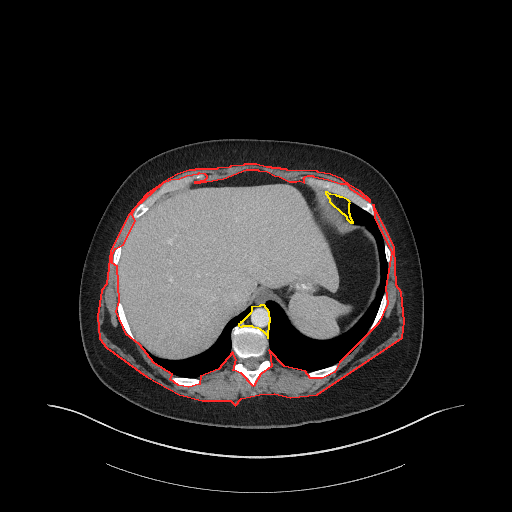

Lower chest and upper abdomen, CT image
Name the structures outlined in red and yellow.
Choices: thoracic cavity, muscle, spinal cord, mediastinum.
red: muscle; yellow: mediastinum.
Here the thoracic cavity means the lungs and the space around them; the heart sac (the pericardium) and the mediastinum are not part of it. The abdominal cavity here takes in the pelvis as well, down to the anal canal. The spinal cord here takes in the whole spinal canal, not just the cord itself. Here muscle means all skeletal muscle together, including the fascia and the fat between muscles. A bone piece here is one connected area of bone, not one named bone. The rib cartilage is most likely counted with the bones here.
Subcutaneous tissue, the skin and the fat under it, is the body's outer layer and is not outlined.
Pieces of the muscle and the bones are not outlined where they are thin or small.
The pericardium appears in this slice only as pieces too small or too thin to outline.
{"muscle":[[[235,405],[241,398],[259,394],[274,393],[290,397],[317,394],[402,337],[404,321],[401,292],[396,285],[394,247],[373,204],[374,217],[391,252],[385,288],[387,303],[378,323],[339,362],[334,372],[322,378],[310,378],[305,371],[284,366],[269,350],[271,366],[260,374],[253,386],[241,373],[233,370],[236,359],[232,352],[218,369],[200,376],[199,384],[188,387],[178,385],[170,379],[172,374],[154,363],[139,344],[126,334],[116,311],[119,301],[117,266],[112,263],[112,255],[115,248],[123,244],[135,221],[132,214],[136,206],[162,183],[146,194],[128,215],[110,250],[106,284],[101,290],[97,316],[99,338],[106,347],[146,376],[179,394],[202,400],[230,400]],[[369,201],[370,201],[370,200],[360,191],[349,185],[342,179],[330,174],[318,172],[317,171],[287,170],[286,169],[281,169],[280,168],[272,168],[271,167],[266,167],[256,164],[244,164],[243,165],[230,166],[229,167],[217,168],[216,169],[195,169],[194,170],[189,170],[177,174],[163,182],[170,179],[179,178],[186,175],[198,173],[199,172],[204,173],[206,175],[206,178],[204,180],[200,181],[199,182],[194,182],[200,182],[201,181],[206,181],[223,178],[246,169],[257,169],[258,170],[267,171],[274,175],[279,176],[289,181],[296,181],[299,180],[304,182],[304,179],[303,178],[305,176],[307,175],[312,175],[313,176],[328,179],[340,183],[345,183],[347,184],[350,188]]],"mediastinum":[[[267,337],[268,337],[269,322],[270,321],[269,312],[264,305],[260,305],[259,306],[251,307],[251,311],[250,313],[241,322],[240,322],[240,323],[238,324],[238,325],[240,326],[242,326],[243,325],[251,325],[252,326],[257,327],[262,330],[266,334]],[[350,222],[353,222],[350,217],[350,214],[349,213],[349,203],[350,202],[348,200],[342,197],[340,197],[339,196],[337,196],[336,195],[330,194],[327,192],[325,192],[325,193],[329,198],[329,201],[342,213],[343,213],[346,216],[346,218]]],"thoracic_cavity":[[[306,371],[338,362],[357,346],[367,332],[384,292],[387,263],[383,240],[374,218],[351,202],[354,223],[365,225],[376,238],[381,264],[376,297],[362,317],[347,332],[333,339],[313,340],[300,334],[275,302],[264,302],[271,316],[270,351],[284,365]],[[186,377],[198,377],[200,375],[209,373],[218,368],[227,359],[231,352],[231,329],[249,313],[250,308],[244,310],[237,316],[232,318],[228,322],[216,342],[201,354],[183,360],[166,360],[153,356],[146,350],[144,350],[154,362],[165,370],[174,375]]],"bones":[{"outer":[[251,385],[254,384],[254,382],[259,374],[263,370],[269,368],[270,366],[270,360],[267,357],[268,340],[265,334],[257,328],[251,326],[242,327],[235,326],[231,332],[232,351],[235,354],[237,359],[237,361],[234,365],[234,370],[241,372],[250,381]],"hole":[[249,369],[254,369],[257,367],[257,366],[258,365],[258,364],[260,362],[260,360],[259,359],[259,358],[255,358],[254,357],[250,357],[249,358],[247,358],[246,359],[244,359],[243,360],[243,363],[244,364],[244,365],[247,368],[248,368]]},[[373,216],[374,216],[374,210],[372,204],[350,189],[347,185],[332,182],[328,180],[325,180],[312,176],[307,176],[304,178],[305,179],[305,182],[308,185],[316,189],[321,189],[324,191],[327,191],[330,193],[333,193],[342,196],[353,202]],[[136,219],[141,216],[156,200],[161,197],[161,196],[165,193],[184,187],[194,181],[202,180],[205,178],[205,175],[199,173],[198,174],[186,176],[179,179],[170,180],[163,183],[159,188],[148,197],[144,202],[139,204],[137,206],[133,214],[133,217]],[[134,341],[136,341],[136,340],[133,334],[131,332],[129,325],[127,323],[127,320],[125,317],[121,303],[120,302],[118,302],[117,304],[117,311],[118,312],[118,315],[119,316],[120,321],[127,334],[130,337],[130,338]],[[310,377],[322,377],[323,376],[325,376],[326,375],[327,375],[329,373],[334,371],[338,367],[338,363],[336,363],[331,366],[326,367],[323,369],[320,369],[319,370],[315,370],[314,371],[311,371],[310,372],[308,372],[307,373],[307,375]],[[187,386],[188,386],[189,385],[194,385],[195,384],[197,384],[198,383],[199,383],[200,382],[200,380],[198,378],[186,378],[185,377],[179,377],[178,376],[172,376],[171,379],[174,382],[175,382],[178,384],[180,384],[181,385],[186,385]],[[368,332],[369,332],[373,329],[383,312],[383,310],[385,307],[385,304],[386,303],[386,294],[385,293],[383,294],[383,296],[382,297],[382,299],[381,300],[381,302],[380,303],[378,311],[375,316],[375,318],[371,326],[368,330]],[[115,265],[117,265],[117,264],[119,261],[119,257],[120,256],[120,254],[121,253],[121,248],[122,247],[121,246],[121,245],[120,245],[119,246],[118,246],[116,248],[116,249],[114,252],[114,254],[113,255],[113,263]]],"spinal_cord":[[[249,369],[254,369],[257,367],[257,366],[258,365],[258,364],[260,362],[260,360],[259,359],[259,358],[255,358],[254,357],[250,357],[249,358],[247,358],[246,359],[244,359],[243,360],[243,363],[244,364],[244,365],[247,368],[248,368]]],"abdominal_cavity":[[[166,359],[201,353],[215,342],[232,317],[265,300],[275,301],[291,324],[310,338],[330,339],[347,331],[373,301],[379,285],[375,238],[365,226],[350,223],[323,191],[263,171],[246,170],[166,194],[130,228],[118,264],[119,297],[132,332],[143,349]]],"torso":[[[247,429],[319,423],[375,408],[403,389],[419,359],[424,298],[413,232],[387,179],[369,162],[350,152],[313,143],[255,138],[208,139],[180,145],[150,157],[123,180],[92,236],[80,279],[78,314],[83,349],[98,379],[128,401],[158,415],[190,423]]]}